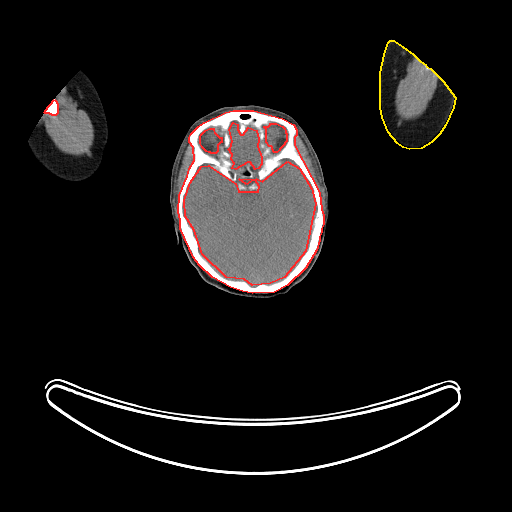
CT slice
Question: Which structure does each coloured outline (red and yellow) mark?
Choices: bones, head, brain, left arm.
Answer: red: bones; yellow: left arm.
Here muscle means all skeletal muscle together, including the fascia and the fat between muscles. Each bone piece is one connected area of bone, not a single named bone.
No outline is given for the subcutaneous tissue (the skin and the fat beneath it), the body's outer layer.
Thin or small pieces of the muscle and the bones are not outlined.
The bones appear in 2 outlined pieces: piece 1: (233, 110) (253, 110) (282, 118) (293, 124) (296, 129) (296, 135) (294, 137) (294, 145) (319, 192) (321, 209) (323, 215) (323, 224) (321, 228) (321, 232) (319, 236) (319, 240) (316, 250) (305, 268) (287, 285) (274, 292) (252, 293) (242, 291) (230, 287) (212, 277) (199, 265) (193, 257) (180, 228) (180, 220) (178, 211) (179, 195) (187, 176) (189, 168) (194, 160) (193, 147) (189, 142) (189, 137) (191, 133) (198, 126) (204, 122) (225, 112) with holes at (287, 161) (299, 168) (311, 188) (315, 203) (305, 251) (284, 277) (270, 283) (252, 285) (244, 279) (226, 277) (202, 254) (194, 230) (185, 216) (184, 200) (190, 182) (201, 166) (208, 165) (235, 183) (238, 191) (258, 191) (259, 186) (255, 180) (252, 180) (246, 184) (239, 179) (256, 178) (262, 181) and at (233, 122) (237, 124) (237, 129) (240, 134) (243, 134) (248, 127) (256, 130) (258, 139) (257, 146) (261, 157) (261, 164) (258, 168) (255, 169) (250, 162) (247, 162) (235, 169) (232, 168) (234, 163) (231, 159) (232, 154) (228, 149) (230, 148) (232, 141) (229, 129) and at (270, 123) (276, 123) (282, 126) (284, 128) (285, 130) (285, 132) (286, 133) (286, 141) (284, 143) (284, 144) (279, 149) (279, 150) (276, 152) (274, 152) (272, 149) (272, 147) (271, 146) (269, 146) (266, 142) (266, 129) (264, 127) (264, 126) (268, 126) (270, 124) and at (209, 128) (213, 128) (213, 130) (214, 132) (219, 137) (221, 137) (221, 142) (220, 142) (217, 145) (217, 151) (215, 153) (211, 153) (210, 152) (208, 152) (206, 151) (202, 147) (200, 143) (200, 136) (201, 134) (205, 130); piece 2: (54, 99) (56, 101) (56, 102) (57, 103) (57, 113) (55, 115) (52, 115) (51, 114) (50, 114) (49, 113) (46, 113) (45, 112) (44, 112) (45, 111) (45, 110) (47, 108) (47, 107) (52, 102) (52, 101). The left arm is outlined by (390, 40) (393, 40) (402, 46) (413, 54) (420, 61) (425, 64) (426, 66) (430, 68) (442, 80) (455, 97) (453, 107) (445, 125) (439, 134) (431, 142) (421, 148) (409, 149) (403, 147) (397, 143) (388, 132) (382, 117) (380, 107) (380, 73) (384, 54) (388, 42). The head is outlined by (246, 104) (279, 110) (297, 121) (318, 156) (328, 192) (329, 219) (317, 260) (301, 282) (287, 292) (269, 298) (235, 295) (205, 282) (188, 260) (182, 246) (174, 244) (175, 231) (169, 224) (172, 219) (169, 201) (171, 168) (187, 130) (197, 119) (213, 110) (223, 106). The right arm is outlined by (80, 70) (85, 72) (98, 92) (107, 120) (108, 139) (105, 146) (103, 159) (100, 166) (95, 173) (85, 180) (77, 182) (70, 182) (62, 180) (48, 172) (38, 162) (33, 155) (28, 145) (28, 140) (36, 126) (37, 122) (44, 113) (47, 107) (52, 102) (61, 89). The muscle appears in 4 outlined pieces: piece 1: (64, 86) (66, 86) (68, 91) (79, 101) (88, 114) (94, 128) (93, 145) (91, 147) (91, 149) (85, 155) (82, 156) (73, 156) (65, 154) (58, 150) (46, 132) (36, 125) (44, 113) (52, 116) (55, 116) (58, 113) (58, 103) (55, 99) (55, 97); piece 2: (413, 55) (422, 62) (423, 66) (426, 70) (435, 73) (438, 77) (439, 81) (437, 83) (437, 87) (433, 95) (433, 97) (428, 103) (428, 106) (423, 114) (415, 119) (403, 120) (395, 112) (394, 96) (398, 80) (400, 78) (400, 75) (407, 62); piece 3: (297, 131) (298, 134) (309, 150) (309, 152) (316, 166) (318, 174) (320, 177) (320, 181) (324, 190) (324, 198) (325, 199) (325, 215) (324, 216) (324, 221) (324, 215) (322, 209) (320, 192) (314, 179) (307, 168) (302, 157) (298, 152) (295, 145) (295, 137) (297, 135); piece 4: (188, 140) (189, 144) (192, 147) (193, 160) (188, 168) (186, 176) (178, 195) (177, 211) (178, 212) (179, 222) (176, 218) (175, 209) (173, 204) (174, 188) (175, 187) (175, 181) (178, 174) (178, 168) (180, 166) (180, 162) (184, 153) (184, 150) (186, 148). The brain appears in 2 outlined pieces: piece 1: (287, 161) (299, 168) (311, 188) (315, 203) (305, 251) (284, 277) (270, 283) (252, 285) (244, 279) (226, 277) (202, 254) (194, 230) (185, 216) (184, 200) (190, 182) (201, 166) (208, 165) (235, 183) (238, 191) (258, 191) (259, 186) (255, 180) (252, 180) (246, 184) (239, 179) (256, 178) (262, 181); piece 2: (233, 122) (237, 124) (237, 129) (240, 134) (243, 134) (248, 127) (256, 130) (258, 139) (257, 146) (261, 157) (261, 164) (258, 168) (255, 169) (250, 162) (247, 162) (235, 169) (232, 168) (234, 163) (231, 159) (232, 154) (228, 149) (230, 148) (232, 141) (229, 129).